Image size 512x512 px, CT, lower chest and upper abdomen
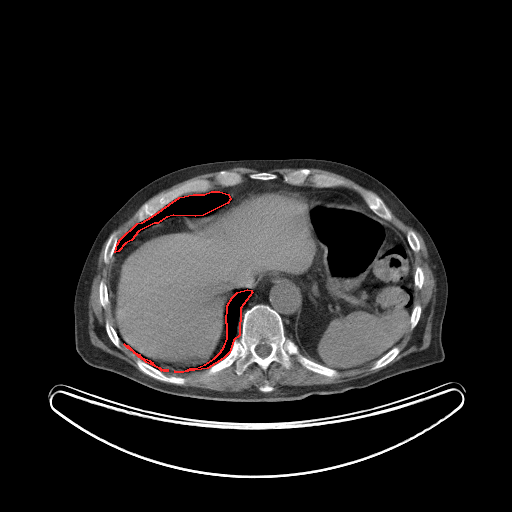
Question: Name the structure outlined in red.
Answer: red: thoracic cavity.
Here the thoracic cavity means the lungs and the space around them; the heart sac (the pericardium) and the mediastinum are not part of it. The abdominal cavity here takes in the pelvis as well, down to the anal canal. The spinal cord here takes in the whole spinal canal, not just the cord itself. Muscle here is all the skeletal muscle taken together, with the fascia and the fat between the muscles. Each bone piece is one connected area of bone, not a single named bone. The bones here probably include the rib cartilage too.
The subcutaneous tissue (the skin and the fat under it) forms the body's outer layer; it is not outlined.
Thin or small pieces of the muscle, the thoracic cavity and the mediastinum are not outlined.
The thoracic cavity appears in 3 outlined pieces: piece 1: (211, 191) (219, 191) (228, 194) (230, 199) (227, 203) (203, 215) (195, 216) (173, 215) (166, 217) (157, 223) (154, 223) (138, 231) (131, 240) (125, 243) (118, 251) (115, 252) (117, 244) (120, 239) (137, 223) (142, 222) (152, 216) (179, 197) (193, 194) (204, 194); piece 2: (247, 289) (251, 290) (252, 292) (240, 308) (239, 335) (233, 340) (229, 352) (223, 358) (207, 368) (182, 372) (174, 371) (183, 371) (189, 368) (195, 368) (205, 364) (214, 358) (220, 352) (224, 346) (227, 338) (227, 324) (226, 323) (227, 305) (232, 297) (237, 292); piece 3: (124, 344) (127, 345) (132, 350) (139, 354) (140, 356) (149, 360) (151, 362) (152, 362) (153, 364) (159, 367) (161, 369) (163, 370) (168, 370) (163, 370) (162, 371) (160, 369) (146, 362) (140, 357) (139, 357) (135, 353) (134, 353) (133, 351) (128, 348). The spinal cord is outlined by (259, 344) (267, 344) (268, 345) (269, 345) (270, 346) (270, 347) (271, 348) (271, 350) (270, 351) (270, 352) (268, 354) (268, 355) (267, 355) (265, 357) (261, 357) (256, 352) (256, 351) (255, 350) (255, 348). The torso is outlined by (288, 158) (331, 160) (370, 174) (387, 186) (425, 227) (441, 257) (448, 284) (441, 331) (445, 357) (441, 362) (341, 393) (314, 394) (288, 401) (254, 402) (162, 392) (89, 365) (80, 357) (74, 341) (77, 282) (100, 229) (134, 193) (158, 177) (191, 165) (225, 160). The abdominal cavity is outlined by (271, 183) (365, 209) (406, 238) (415, 267) (414, 305) (401, 340) (361, 367) (337, 370) (316, 362) (295, 342) (299, 288) (289, 279) (271, 277) (231, 297) (225, 342) (205, 363) (163, 369) (124, 343) (114, 327) (108, 291) (114, 254) (138, 232) (166, 218) (203, 216). The mediastinum appears in 2 outlined pieces: piece 1: (271, 278) (289, 280) (295, 283) (299, 290) (300, 303) (297, 308) (296, 318) (294, 322) (294, 341) (290, 337) (287, 336) (285, 325) (281, 315) (268, 304) (256, 303) (252, 305) (242, 313) (240, 319) (241, 308) (252, 294) (253, 292) (252, 290) (254, 290) (265, 279); piece 2: (248, 179) (257, 181) (279, 180) (293, 186) (311, 186) (317, 188) (345, 188) (359, 195) (371, 211) (355, 205) (352, 199) (339, 191) (320, 190) (299, 192) (292, 187) (275, 182) (259, 184) (230, 200) (231, 198) (228, 193) (219, 190) (212, 190) (235, 186). The muscle appears in 7 outlined pieces: piece 1: (388, 207) (400, 220) (420, 234) (428, 252) (428, 262) (436, 287) (428, 347) (412, 352) (374, 373) (357, 379) (327, 384) (283, 385) (275, 391) (272, 391) (274, 388) (266, 381) (258, 390) (219, 391) (184, 386) (182, 385) (187, 381) (185, 377) (163, 372) (182, 373) (206, 369) (201, 375) (206, 377) (234, 363) (235, 373) (240, 376) (253, 363) (263, 371) (273, 362) (288, 370) (292, 366) (292, 356) (304, 368) (331, 378) (337, 377) (338, 371) (361, 368) (373, 362) (370, 367) (372, 371) (380, 368) (382, 368) (386, 366) (390, 363) (398, 355) (400, 352) (397, 345) (408, 329) (414, 329) (419, 322) (422, 307) (415, 304) (415, 288) (420, 290) (425, 279) (423, 269) (419, 265) (415, 266) (414, 252) (418, 252) (421, 247) (416, 233) (410, 229) (405, 236) (392, 224) (392, 214); piece 2: (105, 242) (103, 262) (108, 264) (111, 260) (111, 266) (107, 285) (102, 279) (98, 284) (98, 300) (104, 309) (109, 305) (113, 326) (107, 320) (104, 329) (110, 341) (118, 349) (122, 347) (122, 342) (138, 357) (135, 364) (139, 370) (90, 341) (89, 297) (98, 258); piece 3: (309, 168) (317, 168) (318, 169) (322, 169) (323, 170) (326, 170) (327, 171) (330, 171) (336, 173) (375, 193) (368, 190) (362, 190) (359, 194) (358, 194) (354, 191) (345, 187) (340, 187) (340, 186) (344, 184) (344, 181) (342, 179) (326, 173) (313, 172); piece 4: (217, 171) (219, 171) (215, 175) (214, 177) (214, 180) (220, 186) (223, 187) (219, 187) (218, 188) (210, 190) (212, 187) (212, 181) (209, 178) (195, 178) (194, 179) (189, 180) (167, 191) (162, 192) (158, 194) (156, 196) (153, 197) (151, 199) (148, 200) (159, 192) (165, 189) (167, 189) (177, 183) (182, 182) (185, 180) (187, 180) (192, 177) (194, 177) (198, 175) (201, 175) (202, 174) (205, 174) (206, 173) (210, 173) (211, 172) (216, 172); piece 5: (139, 208) (139, 209) (137, 212) (137, 218) (136, 219) (136, 221) (137, 222) (133, 226) (132, 226) (123, 235) (123, 236) (119, 239) (119, 240) (119, 239) (117, 236) (117, 234) (114, 231) (113, 231) (116, 228) (117, 228) (122, 223) (123, 223) (125, 221) (126, 221); piece 6: (235, 167) (245, 167) (246, 168) (255, 169) (258, 171) (257, 172) (252, 172) (250, 173) (248, 175) (248, 177) (249, 178) (244, 180) (243, 178) (243, 176) (239, 172) (237, 171) (233, 171) (232, 170) (227, 170) (227, 169) (230, 169) (231, 168) (234, 168); piece 7: (280, 168) (301, 168) (299, 168) (298, 169) (295, 169) (287, 173) (285, 173) (283, 174) (282, 175) (282, 181) (279, 179) (277, 179) (278, 178) (278, 175) (276, 173) (274, 173) (273, 172) (269, 172) (268, 171) (272, 169) (279, 169). The pericardium is outlined by (320, 191) (335, 191) (336, 192) (339, 192) (345, 195) (350, 200) (352, 200) (354, 205) (347, 204) (346, 203) (340, 202) (339, 201) (326, 200) (323, 198) (319, 198) (315, 196) (300, 194) (299, 193) (303, 193) (304, 192) (319, 192). The bones appear in 15 outlined pieces: piece 1: (256, 304) (268, 305) (280, 315) (286, 336) (297, 345) (302, 355) (336, 370) (338, 375) (331, 377) (312, 371) (292, 355) (288, 369) (273, 361) (263, 370) (253, 362) (239, 375) (234, 362) (213, 374) (203, 376) (209, 367) (230, 352) (234, 340) (240, 335) (243, 313) with a hole at (259, 344) (267, 344) (268, 345) (269, 345) (270, 346) (270, 347) (271, 348) (271, 350) (270, 351) (270, 352) (268, 354) (268, 355) (267, 355) (265, 357) (261, 357) (256, 352) (256, 351) (255, 350) (255, 348); piece 2: (195, 179) (209, 179) (211, 181) (211, 187) (208, 191) (206, 192) (202, 192) (201, 193) (193, 193) (192, 194) (187, 194) (186, 195) (179, 196) (142, 221) (139, 222) (137, 221) (138, 218) (138, 212) (144, 203) (151, 200) (162, 193) (167, 192) (189, 181); piece 3: (302, 168) (308, 168) (313, 173) (319, 173) (320, 174) (321, 173) (322, 174) (326, 174) (327, 175) (333, 176) (342, 180) (343, 181) (343, 184) (335, 187) (317, 187) (314, 186) (314, 185) (308, 180) (302, 185) (293, 185) (289, 183) (286, 183) (283, 181) (283, 175); piece 4: (138, 358) (140, 358) (146, 363) (160, 370) (167, 376) (176, 376) (177, 377) (183, 377) (186, 379) (186, 381) (183, 384) (180, 385) (179, 384) (175, 384) (174, 383) (170, 383) (169, 382) (165, 382) (161, 380) (158, 380) (144, 373) (138, 368) (136, 364) (136, 360); piece 5: (362, 191) (368, 191) (369, 192) (371, 192) (377, 195) (383, 201) (383, 202) (385, 204) (385, 205) (387, 207) (391, 214) (391, 219) (389, 221) (380, 217) (373, 211) (372, 211) (371, 209) (370, 209) (370, 208) (364, 201) (360, 194) (360, 193); piece 6: (222, 170) (226, 170) (227, 171) (232, 171) (233, 172) (237, 172) (239, 173) (242, 176) (243, 181) (242, 181) (238, 184) (236, 184) (235, 185) (232, 185) (231, 186) (222, 186) (220, 185) (215, 180) (215, 177) (216, 175) (220, 171); piece 7: (113, 232) (114, 232) (116, 234) (116, 236) (118, 239) (118, 241) (116, 244) (116, 246) (115, 247) (114, 253) (113, 254) (112, 258) (108, 263) (105, 263) (104, 262) (104, 250) (105, 249) (105, 245) (106, 244) (106, 241) (108, 237) (110, 235) (110, 234); piece 8: (395, 346) (397, 346) (399, 348) (399, 352) (397, 354) (397, 355) (390, 362) (389, 362) (386, 365) (382, 367) (380, 367) (379, 368) (377, 368) (376, 369) (374, 369) (372, 370) (371, 369) (371, 367) (373, 365) (374, 362); piece 9: (107, 321) (115, 329) (115, 330) (116, 331) (116, 332) (117, 333) (117, 334) (118, 335) (118, 336) (121, 341) (121, 347) (120, 348) (118, 348) (111, 341) (111, 340) (109, 338) (109, 337) (106, 332) (106, 330) (105, 329) (105, 323); piece 10: (102, 280) (105, 283) (105, 284) (107, 286) (107, 291) (108, 292) (108, 299) (109, 300) (109, 304) (105, 308) (104, 308) (101, 305) (101, 304) (100, 303) (100, 301) (99, 300) (99, 284) (100, 283) (100, 282); piece 11: (258, 172) (268, 172) (269, 173) (273, 173) (274, 174) (276, 174) (277, 175) (277, 178) (276, 179) (273, 179) (272, 180) (257, 180) (256, 179) (252, 179) (251, 178) (250, 178) (249, 177) (249, 175) (250, 174) (251, 174) (252, 173) (257, 173); piece 12: (410, 230) (413, 231) (415, 233) (415, 234) (419, 241) (419, 246) (420, 247) (419, 248) (419, 250) (418, 251) (413, 251) (412, 250) (412, 249) (410, 247) (410, 246) (408, 243) (408, 241) (407, 240) (407, 238) (406, 237) (406, 235) (407, 234) (407, 232); piece 13: (417, 304) (420, 305) (420, 306) (421, 307) (421, 313) (420, 314) (420, 316) (419, 317) (419, 319) (418, 320) (418, 322) (417, 323) (417, 324) (414, 327) (414, 328) (411, 329) (410, 328) (410, 317) (411, 316) (411, 313) (412, 312) (412, 310) (413, 309) (414, 306); piece 14: (417, 266) (419, 266) (422, 269) (422, 271) (423, 272) (423, 275) (424, 276) (424, 279) (423, 280) (423, 283) (422, 284) (422, 286) (420, 289) (419, 289) (418, 288) (415, 287) (415, 286) (414, 285) (414, 273) (415, 272) (415, 270) (416, 269) (416, 267); piece 15: (265, 382) (266, 382) (268, 384) (269, 384) (273, 388) (273, 390) (272, 390) (271, 391) (269, 391) (268, 392) (263, 392) (262, 391) (260, 391) (259, 390) (259, 387) (260, 386) (261, 386) (262, 385) (263, 385) (265, 383).